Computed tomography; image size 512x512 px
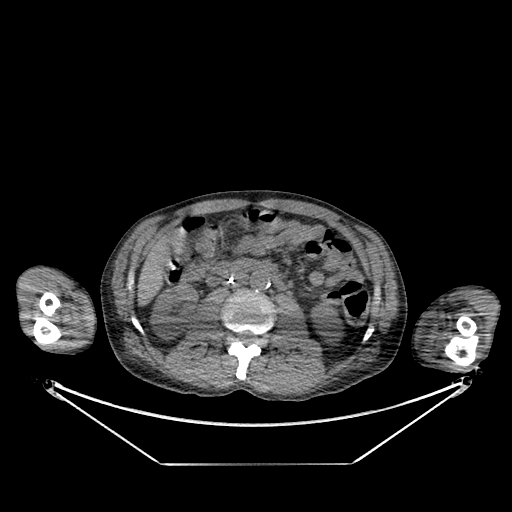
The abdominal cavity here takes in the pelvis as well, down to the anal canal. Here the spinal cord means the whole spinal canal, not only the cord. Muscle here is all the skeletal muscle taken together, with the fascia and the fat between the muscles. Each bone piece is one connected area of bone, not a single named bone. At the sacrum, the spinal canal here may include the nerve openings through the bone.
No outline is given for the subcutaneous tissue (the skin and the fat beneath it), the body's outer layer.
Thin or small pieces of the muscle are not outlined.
The spinal cord is outlined by 246 331; 248 331; 250 332; 253 335; 255 335; 257 336; 254 342; 252 343; 250 343; 247 345; 245 345; 243 343; 243 342; 239 340; 239 339; 237 337; 237 334; 240 334. The left arm is outlined by 462 284; 483 285; 495 292; 500 301; 501 311; 495 329; 493 343; 489 356; 483 360; 480 363; 480 365; 477 366; 473 370; 464 374; 463 373; 449 373; 421 366; 414 360; 411 354; 410 338; 413 326; 418 316; 436 297; 448 289. The torso is outlined by 243 189; 282 190; 313 196; 367 222; 383 235; 398 263; 408 307; 397 354; 383 371; 336 394; 302 402; 272 402; 244 390; 220 397; 180 394; 144 382; 120 364; 106 335; 99 293; 103 268; 118 240; 138 218; 157 208; 210 192. The abdominal cavity is outlined by 248 205; 323 220; 352 243; 373 284; 370 324; 353 353; 326 360; 296 299; 278 293; 273 302; 258 288; 231 294; 225 287; 212 290; 197 305; 193 322; 176 345; 162 349; 151 343; 134 310; 135 273; 145 254; 188 217. The right arm is outlined by 35 264; 49 264; 60 268; 77 280; 90 294; 95 306; 95 311; 97 317; 97 331; 95 334; 94 341; 92 345; 87 350; 76 355; 50 353; 41 350; 20 329; 18 323; 17 304; 14 294; 15 281; 18 275; 23 270; 29 266. The muscle appears in 3 outlined pieces: piece 1: 226 198; 249 201; 275 198; 312 203; 367 228; 380 239; 392 263; 399 304; 374 360; 314 391; 278 395; 257 391; 243 383; 225 389; 204 389; 166 377; 130 357; 123 340; 124 323; 118 317; 111 288; 119 250; 141 222; 156 214 with a hole at 248 205; 323 220; 352 243; 381 292; 374 330; 353 353; 326 360; 303 308; 283 293; 273 297; 276 319; 243 380; 227 351; 232 333; 220 317; 230 295; 225 287; 200 301; 173 347; 153 345; 134 326; 127 275; 152 245; 188 217; piece 2: 35 267; 47 267; 59 272; 86 296; 92 310; 93 327; 91 338; 83 346; 63 350; 45 345; 55 343; 63 334; 50 319; 62 305; 50 290; 45 290; 39 297; 41 314; 33 320; 31 334; 26 331; 21 318; 18 283; 25 272; piece 3: 465 288; 484 290; 497 302; 497 314; 486 350; 476 359; 479 342; 476 333; 478 326; 471 316; 461 314; 455 321; 457 333; 452 335; 444 345; 443 354; 457 366; 466 367; 453 369; 427 361; 418 350; 416 336; 419 322; 442 299. The bones appear in 7 outlined pieces: piece 1: 239 289; 258 289; 269 298; 276 308; 274 324; 264 334; 267 342; 262 348; 261 353; 254 356; 249 361; 246 378; 243 380; 237 378; 235 374; 238 366; 238 359; 227 351; 229 345; 227 338; 232 333; 224 325; 220 317; 223 301, around a hole outlined by 246 331; 248 331; 250 332; 253 335; 255 335; 257 336; 254 342; 252 343; 250 343; 247 345; 245 345; 243 343; 243 342; 239 340; 239 339; 237 337; 237 334; 240 334; piece 2: 461 315; 464 315; 467 317; 471 317; 475 321; 477 326; 477 329; 475 332; 478 336; 478 342; 476 346; 476 357; 474 361; 467 366; 457 365; 452 359; 447 357; 444 354; 445 345; 452 336; 456 335; 458 333; 456 328; 456 321; piece 3: 45 291; 50 291; 54 293; 60 301; 61 305; 55 310; 54 313; 49 317; 49 319; 59 328; 62 334; 55 342; 42 345; 37 343; 36 339; 32 334; 32 327; 34 323; 34 320; 38 316; 40 316; 42 314; 39 307; 39 299; piece 4: 130 269; 132 269; 133 270; 133 272; 134 273; 134 283; 133 284; 133 287; 132 288; 132 290; 128 290; 127 289; 127 287; 126 286; 126 282; 127 281; 127 275; 128 274; 128 272; 130 270; piece 5: 133 314; 134 315; 135 315; 135 316; 139 321; 139 323; 141 325; 141 326; 142 327; 142 328; 145 333; 145 335; 143 335; 142 334; 141 334; 139 332; 139 331; 134 326; 134 325; 132 323; 130 317; 131 316; 131 315; 132 315; piece 6: 377 284; 378 284; 378 285; 379 286; 379 287; 380 288; 380 291; 381 292; 381 294; 380 295; 380 296; 381 297; 381 298; 380 299; 380 301; 379 302; 379 303; 378 304; 374 304; 374 287; piece 7: 370 325; 372 325; 374 327; 374 330; 373 331; 373 332; 371 334; 371 335; 368 338; 368 339; 367 339; 365 341; 365 342; 364 342; 363 343; 362 343; 362 339; 364 336; 364 334; 365 333; 365 332; 366 331; 366 330.